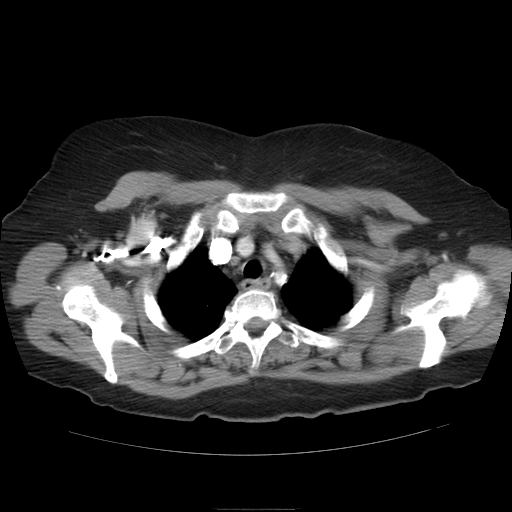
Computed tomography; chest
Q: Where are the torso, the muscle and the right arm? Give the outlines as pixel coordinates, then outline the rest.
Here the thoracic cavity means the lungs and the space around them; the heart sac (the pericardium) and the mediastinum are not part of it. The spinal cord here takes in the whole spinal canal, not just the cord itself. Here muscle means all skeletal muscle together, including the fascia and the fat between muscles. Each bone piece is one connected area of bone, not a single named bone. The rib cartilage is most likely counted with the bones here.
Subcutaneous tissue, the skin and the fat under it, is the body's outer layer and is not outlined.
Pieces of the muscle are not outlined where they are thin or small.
A: {"torso":[[[144,114],[192,118],[252,135],[302,123],[337,122],[408,137],[435,150],[474,184],[475,382],[430,391],[416,401],[338,415],[230,422],[204,415],[180,421],[121,412],[97,405],[76,390],[36,378],[61,313],[70,200],[56,145],[68,131],[87,120]]],"muscle":[{"outer":[[133,170],[167,171],[182,180],[228,179],[257,189],[285,181],[385,189],[432,220],[401,235],[401,249],[420,247],[436,253],[477,243],[511,248],[511,281],[497,340],[442,361],[447,339],[441,320],[464,319],[492,298],[485,276],[467,267],[439,282],[433,296],[400,306],[399,313],[409,321],[391,332],[422,331],[418,369],[381,382],[332,385],[261,376],[176,400],[136,392],[116,384],[113,347],[122,342],[143,348],[122,330],[123,315],[101,302],[88,283],[66,287],[61,307],[70,319],[89,327],[104,365],[102,376],[83,364],[50,355],[24,336],[21,316],[8,299],[8,281],[22,256],[41,242],[68,247],[83,238],[112,234],[116,214],[99,212],[93,205]],"hole":[[244,191],[284,192],[289,199],[276,211],[234,211],[243,229],[281,232],[283,216],[301,205],[347,257],[352,301],[368,285],[375,288],[372,305],[357,324],[339,331],[337,322],[321,330],[342,339],[342,345],[292,347],[275,337],[255,375],[249,373],[252,356],[243,342],[223,354],[210,350],[188,359],[172,354],[190,340],[173,327],[167,333],[154,325],[142,298],[146,282],[157,297],[192,213],[220,208],[228,193]]}],"right_arm":[[[55,147],[56,147],[69,200],[60,301],[60,313],[58,324],[35,378],[32,377],[28,373],[17,348],[10,324],[8,321],[2,289],[2,274],[0,272],[0,239],[2,236],[3,217],[6,213],[12,210],[20,203],[28,189],[48,168],[50,158]]],"mediastinum":[[[240,223],[243,229],[275,230],[285,234],[303,235],[316,244],[295,264],[280,290],[279,297],[294,320],[284,314],[273,291],[251,287],[238,292],[235,284],[219,267],[211,263],[206,250],[198,244],[208,228],[212,233],[216,231],[234,233],[240,228]]],"bones":[{"outer":[[251,288],[273,292],[286,317],[311,330],[340,338],[343,344],[322,348],[301,342],[292,347],[275,337],[266,345],[255,375],[249,373],[252,356],[243,342],[237,342],[223,354],[210,350],[188,359],[175,356],[170,352],[172,349],[214,331],[234,297]],"hole":[[254,317],[258,317],[259,318],[260,318],[262,320],[263,320],[264,321],[266,321],[267,322],[267,325],[265,327],[265,328],[262,331],[262,332],[260,334],[250,334],[249,333],[249,332],[245,328],[245,325],[248,322],[248,321]]},[[467,268],[484,276],[491,295],[489,303],[473,307],[464,318],[442,318],[439,327],[446,344],[441,361],[419,368],[424,346],[423,331],[415,327],[392,332],[410,321],[409,317],[400,313],[401,306],[413,306],[433,297],[439,283],[450,280],[459,269]],[[244,191],[284,192],[289,197],[288,201],[276,211],[234,211],[240,220],[239,228],[234,232],[212,232],[214,213],[205,213],[201,218],[205,230],[199,242],[179,266],[167,272],[168,258],[180,243],[192,213],[205,207],[220,208],[221,200],[228,193]],[[85,284],[94,288],[101,303],[122,315],[124,321],[121,330],[133,337],[142,348],[122,341],[116,341],[113,344],[112,358],[117,374],[115,384],[110,383],[103,376],[105,365],[92,341],[90,327],[84,322],[70,318],[62,307],[64,290],[72,285]],[[296,205],[303,206],[305,212],[310,218],[316,222],[321,222],[327,229],[329,235],[335,239],[340,245],[347,257],[348,274],[346,277],[330,265],[326,257],[313,239],[310,239],[303,234],[295,232],[285,233],[281,230],[280,227],[281,219],[290,208]],[[370,284],[372,284],[374,286],[375,290],[374,291],[374,299],[373,300],[372,305],[367,314],[363,318],[363,319],[354,326],[350,328],[348,328],[343,331],[339,331],[337,330],[338,321],[340,317],[353,306],[354,303],[360,298],[364,292],[365,288]],[[146,282],[149,288],[151,290],[152,293],[156,298],[157,303],[163,315],[167,320],[172,330],[172,332],[171,333],[167,333],[160,329],[157,326],[154,325],[147,317],[144,311],[142,293],[143,292],[143,288],[144,287],[144,285]]],"spinal_cord":[[[254,317],[258,317],[259,318],[260,318],[262,320],[263,320],[264,321],[266,321],[267,322],[267,325],[265,327],[265,328],[262,331],[262,332],[260,334],[250,334],[249,333],[249,332],[245,328],[245,325],[248,322],[248,321]]],"thoracic_cavity":[[[197,245],[199,245],[205,250],[206,258],[210,263],[219,268],[234,284],[237,293],[230,303],[224,308],[222,315],[223,319],[219,325],[210,333],[190,342],[190,340],[185,335],[170,325],[158,303],[157,296],[167,274],[179,267],[189,253]],[[316,246],[319,248],[329,265],[345,277],[351,285],[352,288],[352,301],[353,302],[352,306],[339,317],[337,322],[334,325],[324,327],[321,331],[311,329],[295,321],[289,313],[284,304],[284,302],[280,297],[282,287],[290,278],[296,264],[311,248]]],"left_arm":[[[475,185],[487,190],[498,203],[506,207],[508,213],[509,234],[511,238],[511,281],[508,284],[508,297],[505,308],[505,313],[494,349],[491,353],[480,379],[477,382],[476,382],[476,285],[475,284],[475,267],[474,266],[474,250],[472,232],[472,207]]]}